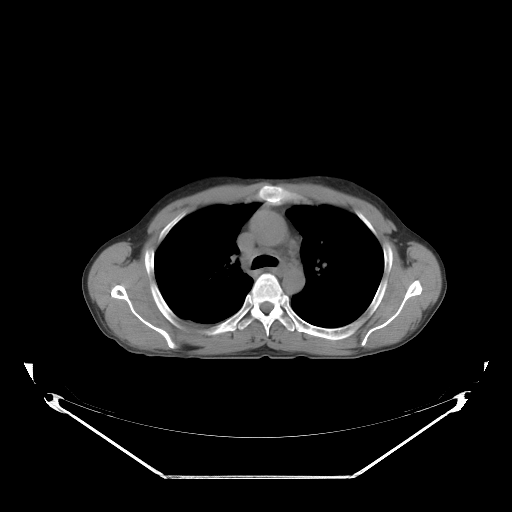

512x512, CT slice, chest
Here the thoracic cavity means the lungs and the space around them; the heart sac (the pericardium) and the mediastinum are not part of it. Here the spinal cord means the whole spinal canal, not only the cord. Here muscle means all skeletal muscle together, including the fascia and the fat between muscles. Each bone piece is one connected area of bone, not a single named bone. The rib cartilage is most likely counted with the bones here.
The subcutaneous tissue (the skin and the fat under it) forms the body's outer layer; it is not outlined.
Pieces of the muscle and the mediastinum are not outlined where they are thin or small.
{"torso":[[[217,174],[271,178],[326,174],[362,185],[437,250],[447,276],[443,301],[411,340],[355,361],[306,361],[303,357],[297,361],[270,361],[267,357],[258,361],[181,361],[125,350],[100,331],[84,301],[81,277],[87,261],[104,242],[133,226],[164,194]]],"bones":[{"outer":[[263,273],[275,276],[283,292],[289,297],[291,308],[312,325],[337,328],[360,317],[365,320],[354,333],[336,340],[297,330],[290,331],[277,319],[270,325],[268,335],[258,319],[254,319],[243,329],[208,335],[203,331],[233,315],[242,306],[255,280]],"hole":[[263,302],[269,302],[270,303],[271,303],[273,305],[273,306],[272,307],[272,308],[271,309],[271,310],[269,312],[268,312],[267,313],[265,313],[264,312],[263,312],[261,310],[261,309],[260,308],[260,305]]},[[264,185],[277,185],[284,188],[286,190],[298,193],[306,198],[310,203],[308,203],[307,204],[306,203],[296,203],[295,202],[284,202],[281,204],[274,205],[273,204],[268,203],[264,200],[261,200],[260,201],[245,201],[248,198],[255,195],[260,188]],[[117,284],[122,285],[125,288],[127,295],[134,309],[144,319],[153,325],[166,331],[177,346],[176,348],[173,349],[170,348],[165,338],[159,332],[149,327],[135,316],[132,313],[128,303],[124,299],[115,298],[111,296],[111,289],[113,286]],[[415,280],[419,280],[420,282],[422,287],[421,293],[418,295],[414,295],[409,297],[404,303],[400,312],[388,324],[381,328],[374,330],[368,336],[365,344],[362,346],[361,345],[361,341],[368,330],[372,327],[383,323],[397,310],[405,295],[407,288]],[[151,281],[154,281],[156,283],[157,287],[162,297],[164,299],[165,302],[170,308],[170,309],[179,318],[178,322],[181,327],[177,327],[172,324],[159,310],[158,307],[156,305],[154,301],[154,299],[151,293],[151,290],[150,289],[150,282]],[[383,277],[385,277],[387,279],[387,285],[386,286],[386,288],[385,289],[384,294],[383,295],[383,296],[382,297],[378,306],[376,308],[376,309],[371,315],[368,316],[368,314],[365,311],[368,307],[368,306],[370,304],[370,303],[378,288],[378,286]],[[148,248],[153,248],[154,249],[154,250],[155,251],[154,252],[154,274],[152,274],[150,276],[149,276],[148,275],[148,274],[147,273],[147,272],[146,271],[146,268],[145,267],[145,251],[146,250],[146,249],[147,249]],[[384,243],[388,243],[389,244],[389,245],[391,247],[391,249],[392,250],[392,263],[391,264],[391,268],[390,269],[390,270],[389,271],[389,272],[388,273],[387,273],[386,272],[384,272],[384,256],[383,255],[383,250],[382,249],[382,245]],[[185,210],[187,212],[186,213],[186,215],[185,215],[180,220],[179,220],[170,229],[170,230],[167,233],[167,234],[164,237],[164,238],[160,242],[160,243],[159,243],[158,242],[158,237],[159,236],[159,234],[161,230],[177,215],[178,215],[181,212]],[[356,210],[357,210],[358,211],[359,211],[370,222],[370,223],[372,225],[372,226],[374,228],[374,229],[376,231],[376,232],[377,233],[377,237],[376,237],[374,235],[374,234],[369,229],[369,228],[355,214],[355,211]]],"thoracic_cavity":[[[239,202],[246,204],[251,202],[259,203],[242,224],[235,239],[235,244],[238,248],[239,267],[253,281],[249,291],[245,295],[241,306],[233,314],[217,323],[198,323],[180,318],[168,305],[156,282],[155,252],[158,246],[171,229],[185,216],[207,206]],[[304,204],[326,204],[346,210],[354,214],[377,239],[382,250],[383,273],[369,304],[356,319],[341,326],[324,327],[312,324],[303,319],[291,306],[291,298],[302,291],[306,284],[306,276],[300,253],[303,237],[299,230],[289,219],[286,212],[294,206]]],"mediastinum":[[[261,201],[274,206],[284,203],[303,204],[294,205],[285,212],[302,237],[299,253],[305,276],[305,284],[301,291],[290,298],[284,292],[276,276],[272,273],[263,272],[254,281],[240,267],[238,258],[239,248],[236,244],[236,239],[243,224],[257,209]]],"spinal_cord":[[[263,302],[269,302],[270,303],[271,303],[273,305],[273,306],[272,307],[272,308],[271,309],[271,310],[269,312],[268,312],[267,313],[265,313],[264,312],[263,312],[261,310],[261,309],[260,308],[260,305]]],"muscle":[{"outer":[[261,181],[267,181],[272,184],[279,182],[305,182],[321,184],[363,199],[375,206],[395,225],[397,230],[393,231],[389,236],[394,240],[401,258],[405,258],[405,243],[408,241],[418,242],[429,249],[436,258],[440,268],[441,290],[436,301],[423,312],[417,327],[395,343],[370,349],[360,349],[356,353],[347,355],[314,354],[301,351],[291,352],[274,349],[265,344],[258,347],[230,353],[191,354],[164,349],[142,349],[129,345],[115,335],[106,324],[103,313],[92,301],[87,286],[87,279],[90,268],[100,253],[114,243],[128,241],[130,242],[132,248],[131,257],[136,259],[139,257],[141,249],[148,237],[147,228],[149,223],[154,216],[169,203],[218,185],[253,184]],"holes":[[[264,185],[298,193],[314,205],[353,214],[357,210],[376,231],[380,246],[391,247],[391,268],[382,274],[387,279],[384,294],[371,315],[364,311],[359,316],[365,320],[351,335],[327,339],[290,331],[277,319],[268,335],[258,319],[243,329],[208,335],[203,331],[214,323],[180,318],[181,327],[177,327],[156,305],[150,289],[156,278],[146,271],[145,251],[157,249],[161,230],[185,210],[188,215],[215,204],[244,202]],[[117,284],[122,285],[125,288],[127,295],[134,309],[144,319],[153,325],[166,331],[177,346],[176,348],[173,349],[170,348],[165,338],[159,332],[149,327],[135,316],[132,313],[128,303],[124,299],[115,298],[111,296],[111,289],[113,286]],[[415,280],[419,280],[420,282],[422,287],[421,293],[418,295],[414,295],[409,297],[404,303],[400,312],[388,324],[381,328],[374,330],[368,336],[365,344],[362,346],[361,345],[361,341],[368,330],[372,327],[383,323],[397,310],[405,295],[407,288]]]}]}